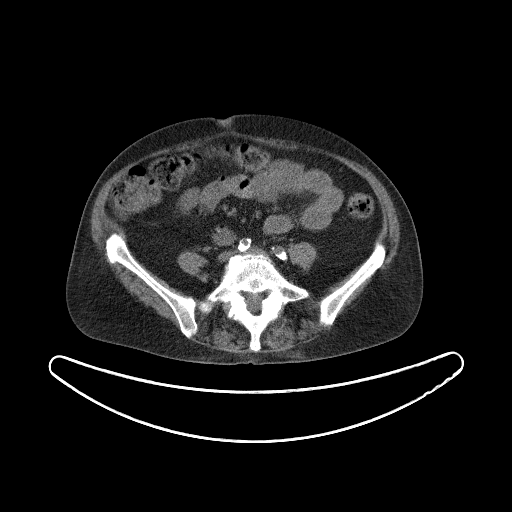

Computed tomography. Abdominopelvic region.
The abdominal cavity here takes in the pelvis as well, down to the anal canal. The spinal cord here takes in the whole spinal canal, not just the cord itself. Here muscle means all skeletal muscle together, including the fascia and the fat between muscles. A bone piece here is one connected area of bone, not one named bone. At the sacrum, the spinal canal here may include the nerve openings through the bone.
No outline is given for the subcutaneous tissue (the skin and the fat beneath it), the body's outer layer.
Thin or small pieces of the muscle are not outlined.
Outlined structures:
spinal cord: [[248,293],[250,293],[251,294],[253,294],[254,295],[256,295],[257,294],[261,294],[261,295],[262,296],[262,298],[260,301],[260,309],[259,310],[259,312],[256,314],[254,314],[253,313],[252,313],[247,308],[247,299],[246,298],[246,294],[247,294]]
torso: [[247,112],[285,115],[325,127],[361,149],[393,182],[412,216],[423,268],[422,301],[411,326],[399,337],[361,351],[308,362],[262,365],[185,362],[95,340],[83,334],[68,313],[65,282],[80,217],[101,172],[128,145],[162,126],[192,117],[224,118]]
abdominal cavity: [[223,136],[278,149],[322,154],[364,178],[376,196],[382,214],[381,228],[367,257],[321,292],[288,280],[262,251],[231,255],[223,265],[218,284],[201,297],[186,294],[147,269],[128,247],[123,227],[106,212],[110,190],[134,164],[172,151],[200,147]]; inner edge: [[185,250],[187,250],[188,251],[193,251],[199,254],[201,256],[205,258],[210,263],[210,279],[208,281],[202,281],[199,278],[193,275],[191,275],[187,273],[180,267],[180,266],[177,262],[177,258],[178,257],[178,255],[181,252]]
muscle 1: [[228,131],[264,138],[295,141],[337,153],[365,166],[387,191],[395,208],[399,223],[400,233],[397,253],[385,271],[377,277],[362,296],[336,322],[334,323],[336,316],[348,298],[384,263],[387,250],[382,242],[376,240],[382,228],[383,214],[380,202],[368,181],[344,163],[322,153],[301,148],[278,148],[243,137],[223,135],[200,146],[172,150],[134,163],[120,179],[113,184],[107,194],[104,209],[107,215],[122,227],[126,236],[126,242],[119,233],[111,232],[104,241],[107,261],[110,264],[118,263],[122,265],[153,290],[171,309],[180,332],[171,322],[142,307],[135,300],[116,278],[94,245],[90,228],[93,205],[103,184],[116,172],[129,163],[154,151],[201,136]]
muscle 2: [[358,266],[341,285],[324,295],[318,301],[318,323],[324,327],[331,326],[327,332],[307,343],[298,345],[285,351],[258,352],[262,347],[260,340],[261,334],[271,322],[279,317],[284,306],[291,302],[307,299],[310,296],[309,291],[314,293],[324,292]]
muscle 3: [[216,302],[221,302],[226,306],[227,305],[228,308],[226,316],[229,319],[238,322],[248,331],[249,333],[248,348],[252,352],[241,354],[213,349],[196,343],[190,339],[198,331],[195,310],[197,308],[203,314],[208,314],[212,311],[214,304]]
muscle 4: [[185,250],[187,250],[188,251],[193,251],[199,254],[201,256],[205,258],[210,263],[210,279],[208,281],[202,281],[199,278],[193,275],[191,275],[187,273],[180,267],[180,266],[177,262],[177,258],[178,257],[178,255],[181,252]]
muscle 5: [[297,242],[308,242],[314,247],[316,251],[316,254],[317,255],[317,257],[313,262],[309,270],[305,273],[304,273],[302,271],[302,270],[297,265],[295,264],[293,264],[290,261],[290,258],[289,257],[289,254],[288,253],[288,248],[291,244],[293,244]]
muscle 6: [[147,270],[150,271],[152,273],[155,274],[158,277],[164,280],[170,286],[175,288],[177,290],[181,291],[183,293],[187,295],[183,295],[182,294],[180,294],[179,293],[177,293],[174,291],[170,290],[167,287],[164,286],[160,282],[159,282]]
bones 1: [[114,232],[159,283],[197,301],[219,284],[231,256],[259,252],[309,296],[282,307],[260,334],[257,352],[249,348],[249,331],[227,316],[228,305],[221,301],[208,313],[194,310],[197,331],[189,339],[170,306],[153,289],[122,264],[108,261],[105,241]], around a hole outlined by [[248,293],[250,293],[251,294],[253,294],[254,295],[256,295],[257,294],[261,294],[261,295],[262,296],[262,298],[260,301],[260,309],[259,310],[259,312],[256,314],[254,314],[253,313],[252,313],[247,308],[247,299],[246,298],[246,294],[247,294]]
bones 2: [[376,241],[379,241],[382,243],[386,250],[386,254],[383,263],[368,279],[360,285],[347,298],[344,302],[344,304],[335,316],[335,319],[332,325],[330,326],[321,325],[319,323],[319,301],[324,296],[329,294],[335,289],[341,286],[351,276],[371,253]]